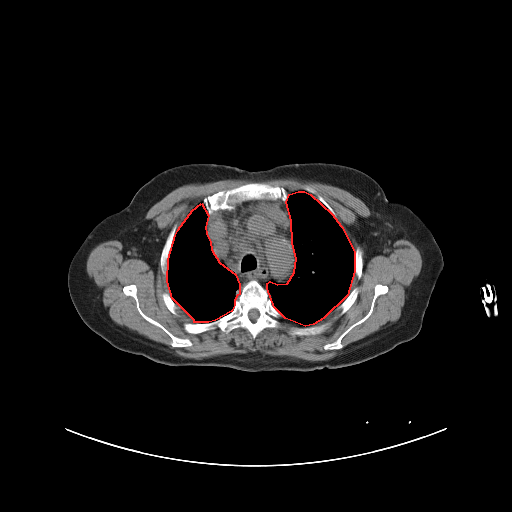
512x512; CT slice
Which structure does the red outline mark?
red: thoracic cavity.
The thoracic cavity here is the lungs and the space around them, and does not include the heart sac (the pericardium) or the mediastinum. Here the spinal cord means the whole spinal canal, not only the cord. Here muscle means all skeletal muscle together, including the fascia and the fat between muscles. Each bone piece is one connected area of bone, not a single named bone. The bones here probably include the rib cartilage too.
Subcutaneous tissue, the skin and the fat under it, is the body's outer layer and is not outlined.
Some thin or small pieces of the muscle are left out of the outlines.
{"thoracic_cavity":[[[298,191],[304,191],[310,194],[331,213],[341,226],[354,251],[354,271],[347,295],[323,318],[313,324],[305,326],[285,318],[274,307],[267,288],[267,283],[270,281],[277,284],[287,283],[294,272],[296,258],[292,243],[291,220],[286,202],[289,194]],[[201,203],[208,215],[205,227],[206,233],[210,242],[211,249],[219,262],[235,274],[239,284],[239,294],[237,295],[234,300],[234,305],[231,311],[215,320],[208,322],[194,322],[194,320],[172,298],[167,281],[168,259],[175,235],[178,229],[192,210]]],"torso":[[[314,161],[343,164],[368,174],[390,201],[407,206],[433,235],[442,253],[443,268],[421,329],[414,338],[353,365],[254,372],[159,363],[114,347],[81,319],[67,281],[74,254],[100,221],[125,207],[153,176],[173,166],[196,162],[254,171],[284,163]]],"mediastinum":[[[251,200],[279,200],[285,203],[290,220],[291,243],[295,258],[293,272],[289,280],[285,283],[277,283],[270,280],[266,283],[265,287],[257,279],[250,279],[240,287],[236,274],[220,262],[212,249],[206,227],[209,215],[217,210],[233,210],[236,205]]],"spinal_cord":[[[251,309],[256,309],[258,311],[258,312],[259,313],[259,315],[258,316],[258,317],[256,319],[256,320],[255,321],[252,321],[249,318],[249,316],[248,315],[248,313],[249,312],[249,311]]],"muscle":[{"outer":[[289,177],[333,185],[362,200],[371,214],[358,224],[357,239],[375,255],[382,254],[399,239],[410,241],[419,250],[421,270],[409,288],[398,320],[349,344],[345,352],[332,359],[311,361],[252,352],[187,358],[164,349],[110,318],[96,285],[86,271],[87,257],[95,246],[104,241],[118,240],[126,256],[141,259],[148,264],[153,263],[161,250],[162,236],[160,230],[145,219],[145,215],[172,190],[195,182]],"holes":[[[251,182],[280,186],[289,194],[303,191],[302,185],[312,187],[335,212],[353,249],[362,249],[361,277],[353,278],[349,288],[358,287],[357,298],[343,314],[333,310],[315,322],[330,324],[321,333],[292,335],[291,327],[303,326],[284,317],[278,328],[266,327],[254,339],[242,327],[189,333],[183,325],[194,320],[181,308],[173,314],[164,303],[162,293],[170,290],[160,256],[174,224],[179,228],[205,197]],[[130,284],[134,284],[136,286],[136,294],[140,308],[147,316],[160,323],[175,336],[181,338],[188,338],[191,341],[192,345],[186,347],[171,346],[171,338],[161,328],[146,320],[139,313],[134,298],[132,296],[126,295],[123,292],[123,287],[125,285]],[[376,284],[386,285],[388,287],[388,289],[386,293],[380,294],[376,298],[371,314],[363,322],[353,327],[343,337],[342,343],[344,345],[342,348],[340,349],[324,349],[323,346],[325,344],[334,341],[348,327],[360,320],[368,312],[374,295],[374,287]]]}],"bones":[{"outer":[[250,280],[257,280],[267,289],[273,307],[283,316],[278,328],[266,327],[254,339],[251,334],[242,327],[235,328],[228,333],[223,332],[218,327],[195,334],[189,333],[184,329],[184,323],[208,323],[231,312],[234,308],[235,300],[240,294],[240,288]],"hole":[[251,309],[256,309],[258,311],[258,312],[259,313],[259,315],[258,316],[258,317],[256,319],[256,320],[255,321],[252,321],[249,318],[249,316],[248,315],[248,313],[249,312],[249,311]]},[[251,182],[261,182],[266,183],[271,186],[283,187],[288,193],[288,198],[285,202],[283,202],[279,199],[277,200],[251,199],[236,204],[233,209],[230,210],[228,209],[217,209],[214,210],[210,214],[208,214],[202,202],[205,197],[222,190],[231,189]],[[130,284],[134,284],[136,286],[136,294],[140,308],[147,316],[160,323],[175,336],[181,338],[188,338],[191,341],[192,345],[186,347],[171,346],[171,338],[161,328],[146,320],[139,313],[134,298],[132,296],[126,295],[123,292],[123,287],[125,285]],[[376,284],[386,285],[388,287],[388,289],[386,293],[380,294],[376,298],[371,314],[363,322],[353,327],[343,337],[342,343],[344,345],[342,348],[340,349],[324,349],[323,346],[325,344],[334,341],[348,327],[360,320],[368,312],[374,295],[374,287]],[[176,223],[178,224],[178,228],[174,235],[174,237],[171,244],[171,247],[169,251],[169,255],[167,259],[167,273],[166,274],[166,276],[165,276],[162,273],[161,266],[160,265],[160,256],[161,255],[161,251],[169,232],[171,230],[174,224]],[[326,322],[328,322],[330,324],[329,326],[327,328],[327,329],[326,329],[323,332],[321,333],[319,333],[318,334],[314,334],[313,335],[292,335],[289,333],[289,330],[291,327],[305,327],[306,326],[310,326],[311,325],[319,325],[320,324],[322,324]],[[354,287],[358,287],[358,288],[359,289],[356,300],[352,304],[352,305],[343,314],[342,314],[341,315],[339,315],[339,312],[338,311],[335,311],[334,310],[346,298],[346,297],[348,295],[348,294]],[[357,245],[361,247],[362,249],[362,251],[363,252],[362,253],[362,258],[363,259],[363,267],[362,268],[362,271],[361,272],[361,277],[359,279],[357,279],[355,277],[353,278],[354,277],[354,272],[355,271],[355,251],[354,250]],[[302,185],[308,185],[309,186],[312,187],[328,203],[328,204],[333,209],[333,210],[335,212],[335,213],[336,214],[336,218],[332,214],[332,213],[319,200],[318,200],[313,195],[312,195],[310,193],[309,193],[308,192],[305,191],[302,188]],[[164,292],[169,292],[170,294],[170,296],[173,300],[173,301],[177,305],[179,306],[180,308],[177,310],[177,314],[176,315],[175,314],[173,314],[167,308],[167,307],[165,305],[164,303],[164,301],[162,298],[162,293]]]}